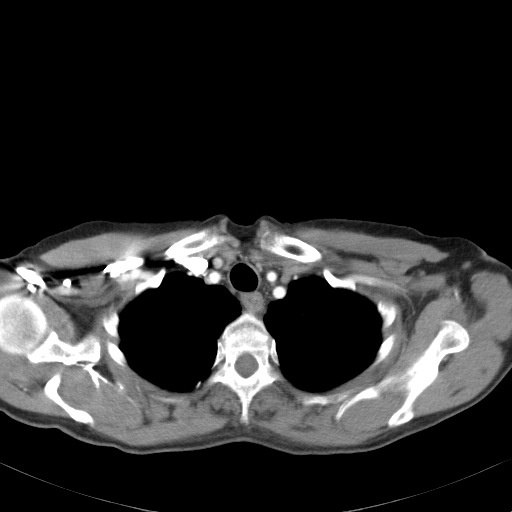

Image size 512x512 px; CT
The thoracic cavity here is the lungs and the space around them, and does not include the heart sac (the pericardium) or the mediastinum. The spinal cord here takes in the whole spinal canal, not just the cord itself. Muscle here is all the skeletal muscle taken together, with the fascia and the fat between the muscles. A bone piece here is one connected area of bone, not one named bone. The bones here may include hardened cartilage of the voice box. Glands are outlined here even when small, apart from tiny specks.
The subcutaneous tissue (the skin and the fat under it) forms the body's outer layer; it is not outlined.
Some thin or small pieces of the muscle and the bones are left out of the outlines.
{"thoracic_cavity":[[[176,270],[200,278],[206,284],[224,286],[238,300],[241,308],[239,315],[223,328],[216,340],[216,353],[207,377],[203,381],[198,380],[193,387],[184,391],[166,389],[144,378],[129,365],[119,346],[119,314],[134,298],[148,289],[157,288],[166,274]],[[312,274],[322,276],[332,288],[349,290],[363,296],[375,305],[381,319],[380,335],[382,340],[371,363],[353,377],[324,391],[309,391],[302,389],[285,377],[280,368],[276,341],[267,329],[263,320],[269,303],[283,298],[287,292],[290,282]]],"bones":[[[6,293],[21,293],[31,298],[45,314],[48,324],[63,341],[75,344],[89,334],[98,337],[100,342],[100,357],[92,367],[112,384],[96,382],[86,370],[76,364],[64,365],[61,362],[32,363],[23,355],[10,354],[0,350],[0,297]],{"outer":[[243,311],[251,312],[262,319],[275,341],[279,368],[284,376],[282,381],[273,382],[253,396],[248,407],[247,424],[240,421],[241,403],[229,387],[220,382],[209,387],[203,383],[199,387],[195,386],[210,374],[217,353],[217,340],[224,328]],"hole":[[245,353],[247,353],[248,354],[249,354],[255,360],[255,361],[257,364],[257,367],[255,369],[255,370],[251,374],[250,374],[248,376],[246,376],[245,377],[244,376],[241,375],[235,368],[235,364],[236,363],[236,361],[240,356],[241,356]]},[[446,319],[467,330],[469,344],[440,361],[436,377],[413,402],[414,415],[409,421],[394,427],[387,424],[406,395],[397,384],[375,398],[351,405],[338,420],[339,401],[304,405],[300,400],[301,396],[350,389],[350,397],[388,375],[400,374],[424,351]],[[266,231],[269,231],[271,233],[278,232],[282,234],[285,234],[298,238],[316,248],[321,253],[322,257],[320,260],[314,262],[303,263],[294,259],[280,256],[271,253],[264,249],[262,249],[260,247],[260,239],[259,237],[260,235],[263,234]],[[206,227],[210,227],[211,228],[213,227],[218,234],[223,235],[225,237],[225,240],[221,244],[219,244],[210,249],[207,249],[201,252],[189,254],[188,255],[177,255],[175,258],[166,258],[164,252],[175,241],[185,235],[187,235],[192,232],[195,232]],[[57,371],[59,371],[61,374],[60,383],[57,389],[58,393],[65,401],[73,407],[75,407],[78,409],[82,409],[90,414],[94,420],[94,423],[92,426],[89,424],[85,424],[75,421],[71,418],[59,405],[55,403],[44,394],[43,390],[46,382]],[[381,299],[385,301],[387,301],[388,302],[391,302],[393,303],[396,306],[396,313],[395,314],[395,317],[394,318],[394,320],[392,322],[392,323],[384,330],[381,330],[381,326],[382,325],[382,319],[376,307],[376,304],[377,302]],[[162,267],[164,267],[165,268],[165,274],[160,284],[157,287],[155,288],[148,288],[144,290],[137,296],[134,297],[134,295],[133,294],[134,293],[134,288],[135,286],[141,280],[150,276],[153,273],[155,273],[157,272],[158,270]],[[324,267],[327,267],[331,271],[331,272],[337,277],[340,277],[346,280],[348,282],[355,285],[356,286],[356,288],[357,290],[356,291],[352,291],[349,289],[346,289],[345,288],[339,288],[338,287],[336,288],[335,287],[332,287],[323,277],[322,270]],[[113,310],[114,310],[118,314],[118,316],[119,317],[119,323],[118,324],[118,334],[119,335],[119,338],[118,339],[115,338],[113,336],[111,336],[106,331],[105,328],[102,324],[102,318],[103,316],[104,315],[106,315],[109,312],[109,311],[112,311]],[[392,333],[394,333],[396,336],[395,337],[395,341],[394,342],[394,344],[393,345],[393,347],[392,349],[390,351],[388,355],[384,359],[383,359],[377,364],[372,365],[371,364],[376,356],[377,351],[383,339],[387,337],[390,334]],[[108,339],[112,342],[114,343],[116,343],[118,345],[119,348],[122,351],[122,352],[125,356],[125,358],[128,364],[127,366],[122,366],[118,364],[110,357],[109,354],[107,352],[107,349],[106,348],[106,341]]],"muscle":[{"outer":[[222,219],[235,234],[252,234],[267,220],[429,244],[449,255],[428,262],[427,272],[446,272],[449,284],[463,286],[478,270],[504,274],[511,283],[511,337],[501,343],[503,364],[471,399],[413,418],[413,404],[437,377],[441,361],[471,341],[461,323],[446,318],[400,373],[350,396],[350,388],[301,395],[304,406],[339,402],[338,421],[389,386],[405,391],[386,421],[397,427],[356,445],[298,444],[241,425],[188,441],[129,445],[87,425],[94,425],[92,415],[59,393],[59,370],[42,391],[70,418],[9,404],[0,399],[0,351],[32,364],[76,365],[96,383],[113,384],[93,367],[101,357],[99,337],[61,339],[31,297],[0,296],[0,270],[12,271],[72,239]],"holes":[[[230,250],[257,255],[268,264],[296,265],[319,276],[327,267],[373,304],[381,299],[393,303],[394,320],[380,331],[382,339],[395,334],[392,349],[377,364],[324,391],[302,389],[285,377],[273,382],[253,396],[247,424],[240,421],[238,396],[220,382],[171,390],[118,364],[107,352],[106,341],[118,345],[120,339],[106,331],[103,316],[113,310],[121,313],[134,299],[135,286],[160,268],[167,274],[181,270],[191,257]],[[266,231],[269,231],[271,233],[278,232],[282,234],[285,234],[298,238],[316,248],[321,253],[322,257],[320,260],[314,262],[303,263],[294,259],[280,256],[271,253],[264,249],[262,249],[260,247],[260,239],[259,237],[260,235],[263,234]],[[206,227],[210,227],[211,228],[213,227],[218,234],[223,235],[225,237],[225,240],[221,244],[219,244],[210,249],[207,249],[201,252],[189,254],[188,255],[177,255],[175,258],[166,258],[164,252],[175,241],[185,235],[187,235],[192,232],[195,232]],[[157,396],[163,396],[164,397],[174,397],[175,398],[180,398],[181,399],[181,400],[180,401],[179,401],[178,402],[176,402],[175,403],[170,403],[169,402],[165,402],[164,401],[162,401],[160,399],[159,399],[157,397]]]}],"mediastinum":[[[237,251],[247,255],[247,259],[259,270],[264,266],[264,261],[276,265],[292,264],[315,273],[290,281],[284,296],[269,302],[261,318],[251,311],[242,311],[239,300],[224,285],[206,283],[202,278],[182,270],[191,257],[221,255],[230,263],[238,256]]],"thyroid_glands":[[[251,254],[254,254],[255,255],[257,255],[261,258],[261,259],[264,264],[261,268],[261,269],[259,269],[257,267],[256,264],[255,263],[254,263],[254,262],[253,261],[248,259],[249,258],[247,256],[248,255],[250,255]],[[230,250],[231,250],[232,251],[236,251],[236,254],[237,255],[237,256],[235,258],[235,259],[234,259],[232,261],[231,261],[230,262],[228,262],[224,258],[224,257],[222,255],[223,254],[223,253],[224,252],[225,252],[226,251],[229,251]]],"spinal_cord":[[[245,353],[247,353],[248,354],[249,354],[255,360],[255,361],[257,364],[257,367],[255,369],[255,370],[251,374],[250,374],[248,376],[246,376],[245,377],[244,376],[241,375],[235,368],[235,364],[236,363],[236,361],[240,356],[241,356]]],"torso":[[[218,213],[243,225],[262,214],[287,221],[341,217],[470,239],[511,266],[511,370],[471,407],[383,447],[349,454],[293,455],[249,442],[132,454],[80,441],[57,428],[40,428],[12,419],[0,411],[0,258],[88,220],[161,221],[207,218]]]}